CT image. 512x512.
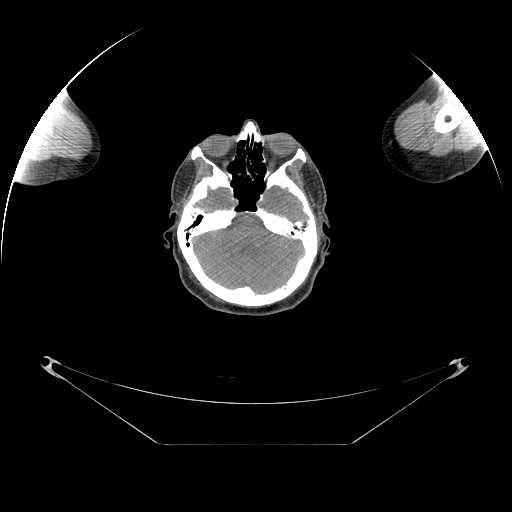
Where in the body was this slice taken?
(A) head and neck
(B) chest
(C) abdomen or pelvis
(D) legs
(A) head and neck
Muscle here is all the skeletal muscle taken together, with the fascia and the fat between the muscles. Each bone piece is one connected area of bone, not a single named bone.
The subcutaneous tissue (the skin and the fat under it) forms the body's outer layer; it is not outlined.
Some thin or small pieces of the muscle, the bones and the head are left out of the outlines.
{"brain":[[[242,214],[256,216],[268,231],[292,240],[299,240],[303,248],[303,253],[297,259],[289,277],[280,285],[265,292],[257,292],[248,285],[229,287],[216,281],[206,273],[194,249],[193,240],[195,237],[208,232],[225,229],[232,224],[233,220],[238,215]],[[273,187],[278,187],[283,190],[286,190],[291,195],[295,197],[301,204],[301,210],[306,216],[306,218],[305,219],[302,219],[301,218],[290,219],[289,217],[284,214],[280,214],[272,211],[269,211],[262,206],[262,202],[264,201],[266,194]],[[219,188],[226,189],[229,194],[229,199],[232,203],[228,207],[220,207],[219,208],[215,208],[212,210],[208,210],[205,207],[201,207],[198,205],[196,205],[198,202],[201,200],[205,199],[208,196],[208,194],[210,190],[211,191],[214,191]]],"right_arm":[[[63,89],[67,90],[69,95],[88,116],[95,126],[101,143],[101,153],[99,160],[96,165],[88,173],[76,179],[72,179],[67,181],[56,181],[39,186],[28,186],[15,181],[14,174],[17,169],[17,165],[21,154],[31,133],[45,110],[53,99]]],"muscle":[{"outer":[[443,81],[459,98],[469,112],[479,129],[483,137],[483,140],[477,146],[469,148],[463,152],[451,152],[445,156],[440,157],[431,156],[426,152],[412,151],[402,148],[397,143],[393,132],[396,118],[403,110],[411,104],[421,99],[434,88],[440,85]],"hole":[[448,103],[452,103],[453,104],[455,104],[458,106],[460,106],[463,109],[463,121],[462,122],[462,124],[459,124],[452,130],[446,133],[440,133],[439,132],[437,132],[435,131],[433,128],[434,119],[435,118],[435,116],[439,108],[444,105],[446,105]]},[[54,98],[77,113],[85,123],[92,138],[92,148],[90,152],[86,156],[78,161],[64,158],[58,158],[56,160],[43,160],[42,159],[35,160],[25,157],[21,157],[21,154],[29,137],[30,136],[40,135],[46,131],[47,129],[47,118],[45,110]],[[307,156],[311,166],[313,180],[320,193],[320,211],[322,217],[320,229],[322,239],[318,252],[318,234],[315,215],[310,206],[310,203],[305,192],[298,186],[287,172],[287,167],[290,166],[296,160],[298,159],[303,163],[305,163],[307,160]],[[189,156],[192,161],[199,157],[201,158],[206,164],[210,166],[211,173],[202,176],[192,187],[187,200],[182,206],[182,210],[180,214],[179,220],[179,215],[177,208],[177,201],[178,200],[178,191],[177,190],[178,189],[178,185],[180,183],[187,167]],[[178,245],[180,249],[181,254],[184,260],[188,265],[191,272],[197,279],[200,284],[206,290],[207,290],[215,296],[228,303],[230,303],[222,303],[221,302],[216,301],[212,298],[209,297],[189,278],[187,271],[184,265],[184,260],[178,250]],[[311,268],[310,273],[308,276],[308,278],[304,286],[293,297],[285,301],[281,301],[280,302],[277,302],[279,301],[281,301],[285,298],[286,298],[288,296],[289,296],[306,279],[306,278],[308,276],[310,272],[310,270]]],"bones":[{"outer":[[196,145],[201,148],[207,158],[232,174],[231,185],[239,199],[237,207],[239,210],[255,208],[255,202],[264,189],[263,177],[266,168],[274,170],[291,158],[298,147],[305,152],[305,162],[296,159],[286,167],[286,172],[304,192],[314,215],[317,253],[305,279],[283,299],[262,306],[243,306],[228,302],[206,289],[185,260],[176,235],[183,206],[193,187],[202,177],[212,173],[211,166],[201,157],[191,159],[190,152]],"holes":[[[242,214],[256,216],[268,231],[292,240],[299,240],[303,248],[303,253],[297,259],[289,277],[280,285],[265,292],[257,292],[248,285],[229,287],[216,281],[206,273],[194,249],[193,240],[195,237],[208,232],[225,229],[232,224],[233,220],[238,215]],[[273,187],[278,187],[283,190],[286,190],[291,195],[295,197],[301,204],[301,210],[306,216],[306,218],[305,219],[302,219],[301,218],[290,219],[289,217],[284,214],[280,214],[272,211],[269,211],[262,206],[262,202],[264,201],[266,194]],[[219,188],[226,189],[229,194],[229,199],[232,203],[228,207],[220,207],[219,208],[215,208],[212,210],[208,210],[205,207],[201,207],[198,205],[196,205],[198,202],[201,200],[205,199],[208,196],[208,194],[210,190],[211,191],[214,191]]]},[[448,103],[452,103],[453,104],[455,104],[458,106],[460,106],[463,109],[463,121],[462,122],[462,124],[459,124],[452,130],[446,133],[440,133],[439,132],[437,132],[435,131],[433,128],[434,119],[435,118],[435,116],[439,108],[444,105],[446,105]],[[248,120],[253,121],[259,127],[259,130],[265,137],[264,144],[262,147],[259,142],[256,143],[253,151],[251,151],[249,149],[248,150],[245,149],[242,150],[240,148],[238,149],[237,154],[232,161],[232,155],[237,148],[237,144],[234,140],[235,136]],[[44,112],[44,113],[45,114],[45,117],[46,118],[46,129],[45,130],[45,131],[44,131],[42,133],[41,133],[40,134],[38,134],[37,135],[30,135],[33,131],[34,128],[36,126],[37,123],[39,121],[40,118],[42,116],[42,115]],[[247,155],[248,158],[251,161],[251,163],[249,165],[248,169],[253,177],[253,179],[252,180],[247,175],[245,175],[244,174],[242,175],[239,175],[238,174],[238,172],[242,172],[243,173],[244,172],[245,165],[246,164],[245,163],[245,158]]],"head":[{"outer":[[246,118],[255,119],[262,134],[282,130],[292,134],[318,168],[327,197],[330,227],[324,230],[331,241],[330,253],[312,290],[295,307],[268,315],[209,308],[183,286],[172,249],[163,246],[162,233],[172,222],[171,182],[188,150],[215,131],[237,134]],"hole":[[259,143],[261,146],[261,162],[265,164],[265,171],[262,177],[264,184],[263,189],[258,194],[253,209],[239,209],[240,199],[236,195],[235,188],[232,185],[233,174],[228,169],[228,166],[236,158],[238,150],[249,150],[253,152],[256,148],[256,144]]},[[247,155],[248,158],[251,161],[251,163],[249,165],[248,169],[253,177],[253,179],[252,180],[247,175],[245,175],[244,174],[242,175],[239,175],[238,174],[238,172],[242,172],[243,173],[244,172],[245,165],[246,164],[245,163],[245,158]]],"left_arm":[[[434,74],[441,78],[459,98],[479,129],[487,148],[484,151],[483,156],[479,162],[472,169],[464,174],[459,175],[449,181],[441,183],[425,183],[412,179],[400,173],[388,162],[382,150],[381,133],[385,121],[391,112],[407,98],[427,77],[432,76]]]}